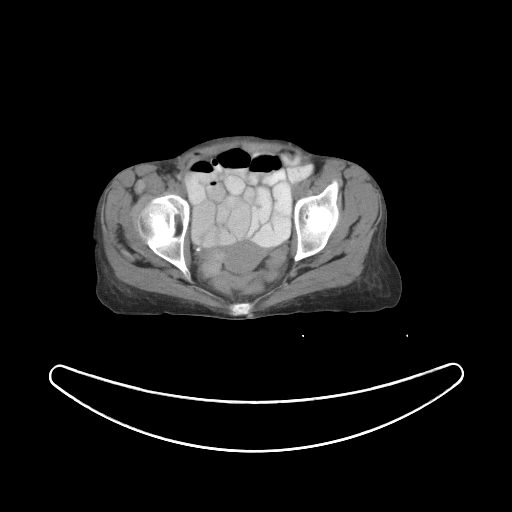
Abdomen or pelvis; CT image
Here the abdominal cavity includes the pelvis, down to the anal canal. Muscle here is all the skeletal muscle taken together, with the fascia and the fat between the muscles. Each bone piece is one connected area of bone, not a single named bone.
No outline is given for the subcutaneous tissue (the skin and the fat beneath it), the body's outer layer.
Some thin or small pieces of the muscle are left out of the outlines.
Outlines (x, y in pixels):
torso: [[231,134],[287,139],[310,152],[353,161],[374,177],[387,208],[387,249],[402,281],[401,297],[394,307],[366,313],[300,312],[223,320],[166,313],[121,315],[99,301],[94,288],[96,274],[89,231],[97,200],[107,182],[130,165],[171,158],[198,142]]
muscle: [[232,139],[288,144],[315,160],[338,160],[347,166],[356,166],[367,175],[380,196],[382,217],[363,270],[356,280],[249,313],[253,306],[250,302],[278,286],[285,278],[293,220],[296,235],[294,262],[313,256],[326,246],[339,220],[340,185],[334,178],[320,192],[296,198],[296,189],[318,173],[319,163],[306,160],[289,148],[249,149],[242,145],[232,145],[212,154],[196,151],[185,162],[178,179],[183,184],[185,198],[171,192],[155,196],[137,215],[137,231],[157,256],[177,268],[187,281],[191,280],[191,272],[201,287],[240,302],[228,305],[231,314],[181,298],[141,290],[115,276],[103,249],[100,224],[101,206],[112,182],[129,168],[143,164],[168,166],[191,150]]
bones 1: [[170,193],[179,195],[186,199],[190,206],[189,222],[188,223],[186,233],[184,236],[184,241],[183,242],[184,260],[185,261],[185,264],[190,272],[190,280],[187,280],[182,272],[177,267],[157,255],[144,241],[138,231],[138,215],[144,206],[153,198]]
bones 2: [[334,179],[337,181],[339,185],[337,201],[336,202],[339,211],[337,223],[329,236],[325,246],[320,251],[298,261],[294,261],[293,259],[297,248],[297,235],[295,231],[294,220],[293,219],[294,204],[296,200],[301,197],[309,195],[316,195],[320,193]]
bones 3: [[241,302],[249,302],[252,304],[252,306],[251,307],[251,308],[249,310],[248,313],[247,314],[244,314],[243,315],[236,315],[235,314],[232,314],[232,312],[231,311],[231,310],[229,308],[229,305],[230,304],[233,304],[234,303],[240,303]]
abdominal cavity: [[232,146],[242,146],[249,150],[289,149],[304,160],[320,165],[317,173],[300,183],[295,189],[289,258],[283,280],[251,301],[233,301],[201,286],[193,277],[188,232],[191,206],[186,198],[184,184],[179,179],[186,162],[196,152],[212,155]]